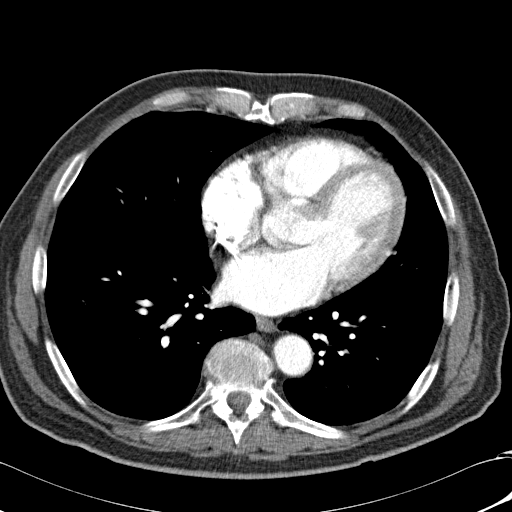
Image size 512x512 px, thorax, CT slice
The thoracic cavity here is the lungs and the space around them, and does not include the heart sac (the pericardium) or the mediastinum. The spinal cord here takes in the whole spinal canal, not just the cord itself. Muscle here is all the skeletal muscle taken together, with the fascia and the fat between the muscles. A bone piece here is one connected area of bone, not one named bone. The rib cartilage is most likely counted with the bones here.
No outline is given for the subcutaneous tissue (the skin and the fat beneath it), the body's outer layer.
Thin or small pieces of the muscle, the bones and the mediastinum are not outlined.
{"pericardium":[[[311,128],[358,136],[387,158],[399,177],[406,196],[403,225],[394,252],[374,273],[360,283],[315,307],[283,315],[266,315],[224,299],[217,280],[218,270],[211,254],[212,240],[206,235],[202,225],[201,192],[208,178],[232,154],[251,148],[274,136]]],"bones":[{"outer":[[231,337],[253,343],[267,355],[273,387],[295,410],[340,428],[347,436],[326,438],[279,426],[271,420],[268,405],[244,429],[238,445],[227,424],[209,407],[197,423],[146,431],[144,422],[178,412],[201,393],[208,377],[203,373],[206,355],[216,342]],"hole":[[233,392],[243,392],[244,393],[247,394],[249,396],[249,398],[250,399],[249,400],[249,402],[246,406],[246,407],[243,410],[243,411],[239,414],[237,414],[235,412],[235,411],[230,406],[230,405],[228,402],[228,397],[229,396],[229,395]]},[[216,86],[245,90],[253,99],[262,103],[273,94],[281,92],[307,92],[314,94],[320,100],[317,104],[318,110],[308,115],[306,119],[293,117],[269,124],[259,119],[245,120],[229,111],[219,110],[216,113],[205,111],[205,106],[209,102],[207,95]],[[46,337],[52,340],[56,344],[57,347],[59,349],[74,379],[76,381],[78,386],[81,390],[81,392],[80,393],[86,402],[84,406],[78,403],[72,397],[72,396],[68,392],[68,391],[60,380],[58,375],[56,373],[45,348],[44,339]],[[425,164],[430,165],[435,170],[445,184],[451,196],[451,199],[452,200],[452,203],[453,204],[453,207],[455,212],[455,216],[456,217],[456,221],[452,226],[450,225],[446,226],[444,223],[444,221],[437,206],[435,198],[433,195],[427,176],[423,169]],[[437,357],[438,357],[440,359],[440,363],[439,364],[438,370],[431,384],[429,386],[425,393],[421,397],[421,398],[406,412],[403,412],[403,407],[407,403],[407,399],[406,398],[406,395],[407,393],[409,391],[421,372],[429,362],[429,361],[432,361]],[[82,150],[85,150],[87,152],[88,154],[87,159],[85,161],[83,166],[81,168],[75,180],[73,182],[73,183],[71,185],[59,204],[56,204],[54,203],[53,201],[53,194],[60,180],[60,178],[62,174],[64,172],[72,159],[75,156],[75,155]],[[451,272],[454,272],[457,275],[459,279],[459,298],[458,299],[457,308],[456,309],[456,312],[455,313],[453,322],[450,325],[447,325],[443,322],[443,316],[442,315],[443,313],[443,298],[444,297],[444,292],[445,291],[445,286],[446,285],[447,277]],[[38,245],[41,245],[46,249],[46,256],[47,257],[47,276],[46,277],[46,282],[45,283],[45,289],[44,291],[40,291],[38,293],[35,293],[34,292],[33,286],[32,285],[32,263],[33,262],[33,258],[34,257],[34,254],[35,253],[36,248]],[[179,91],[184,91],[189,95],[189,97],[185,101],[183,101],[176,104],[169,105],[168,106],[163,106],[160,108],[160,110],[156,110],[154,109],[154,106],[152,104],[152,101],[155,98],[159,97],[160,96],[162,96],[167,93],[178,92]],[[342,104],[355,104],[356,105],[357,105],[358,106],[361,107],[364,110],[364,111],[365,112],[365,114],[364,115],[364,117],[362,119],[357,119],[356,118],[351,118],[350,117],[336,117],[336,116],[337,115],[337,108],[338,107],[338,106],[339,106]]],"torso":[[[195,68],[323,73],[360,80],[401,98],[441,136],[475,191],[508,291],[511,319],[501,358],[501,388],[481,415],[448,435],[377,462],[262,480],[188,477],[113,463],[81,447],[60,443],[18,416],[0,381],[1,218],[49,148],[96,104],[144,77]]],"thoracic_cavity":[[[150,111],[204,111],[271,131],[228,155],[200,192],[200,222],[223,296],[221,305],[250,313],[254,328],[209,348],[202,362],[207,375],[203,389],[187,405],[144,420],[112,412],[82,391],[54,340],[44,292],[47,249],[60,203],[93,152],[119,128]],[[332,118],[373,121],[399,142],[426,176],[448,244],[442,324],[428,362],[394,407],[339,426],[302,414],[274,387],[303,376],[314,362],[307,340],[279,324],[284,318],[317,308],[360,284],[395,254],[407,196],[383,152],[364,134],[322,125]]],"muscle":[[[75,153],[52,194],[58,206],[47,248],[41,244],[35,248],[31,285],[35,294],[43,292],[53,337],[43,339],[47,356],[81,406],[87,403],[82,392],[112,413],[145,421],[140,426],[155,433],[197,424],[209,408],[226,424],[236,446],[267,406],[270,420],[279,427],[334,440],[348,436],[338,427],[371,419],[404,398],[402,412],[406,413],[436,377],[441,359],[430,358],[443,323],[454,322],[460,298],[460,279],[454,271],[448,274],[446,227],[457,221],[448,188],[465,222],[475,294],[480,291],[483,300],[482,359],[472,388],[422,425],[350,449],[279,461],[230,454],[194,457],[139,448],[48,405],[23,377],[9,344],[5,281],[11,256],[17,268],[47,182]],[[184,86],[213,87],[206,95],[208,102],[203,110],[161,110],[163,107],[185,102],[190,97],[184,90],[167,92],[155,97],[151,101],[153,109],[155,110],[150,110],[139,115],[119,127],[89,156],[85,149],[80,150],[111,120],[128,109],[164,90]],[[316,95],[355,101],[368,107],[393,126],[412,146],[431,162],[442,179],[430,164],[425,163],[422,168],[400,142],[379,123],[365,119],[365,110],[355,103],[342,103],[338,105],[335,117],[307,119],[308,116],[315,114],[319,110],[318,104],[321,100]]],"spinal_cord":[[[233,392],[243,392],[244,393],[247,394],[249,396],[249,398],[250,399],[249,400],[249,402],[246,406],[246,407],[243,410],[243,411],[239,414],[237,414],[235,412],[235,411],[230,406],[230,405],[228,402],[228,397],[229,396],[229,395]]],"mediastinum":[[[224,300],[266,316],[283,316],[314,308],[284,317],[278,324],[280,329],[297,332],[306,340],[313,354],[310,370],[299,377],[287,378],[281,385],[274,385],[274,366],[268,355],[257,344],[233,337],[253,331],[254,316],[237,307],[222,305]],[[288,119],[326,119],[320,124],[322,126],[344,129],[355,134],[364,135],[371,143],[362,137],[351,133],[311,127],[274,135],[255,143],[251,147],[243,148],[232,153],[272,131],[272,129],[267,125],[248,121],[259,120],[266,124],[273,125],[282,123]]]}